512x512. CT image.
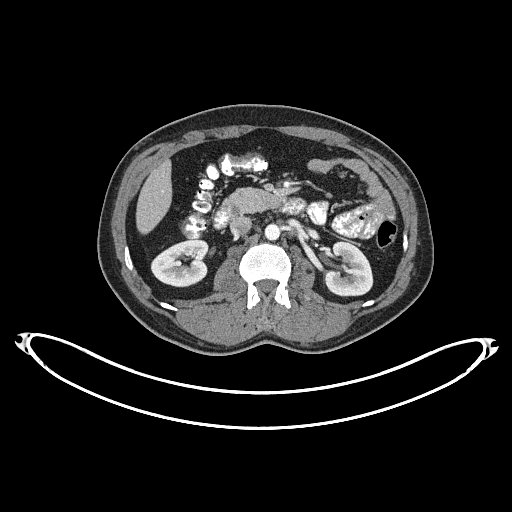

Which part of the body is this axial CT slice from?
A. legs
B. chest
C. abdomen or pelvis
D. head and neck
Answer: C. abdomen or pelvis
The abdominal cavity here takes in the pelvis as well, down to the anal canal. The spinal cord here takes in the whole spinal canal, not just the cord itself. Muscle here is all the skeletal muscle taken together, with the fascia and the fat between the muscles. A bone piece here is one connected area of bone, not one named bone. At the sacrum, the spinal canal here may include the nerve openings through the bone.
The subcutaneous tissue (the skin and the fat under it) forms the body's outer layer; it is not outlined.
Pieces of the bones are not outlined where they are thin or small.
The spinal cord is outlined by 264,294 267,294 268,293 271,292 273,290 274,290 277,286 277,282 276,281 271,281 270,280 265,280 264,281 260,281 259,282 256,282 254,284 254,285 255,285 259,289 259,290 260,291 261,291. The muscle is outlined by 226,346 238,344 265,331 284,339 299,342 323,341 342,334 358,317 391,304 404,292 409,283 412,269 418,233 418,214 416,202 409,184 390,161 378,152 335,130 311,126 258,126 245,124 192,130 173,141 161,142 148,147 135,157 125,169 121,178 110,222 113,249 120,273 129,289 142,304 166,316 178,327 195,337 213,344, around holes outlined by 248,309 267,297 290,307 286,287 299,256 315,270 312,289 336,302 370,306 391,282 407,236 393,196 360,156 258,129 188,147 142,182 128,208 126,267 134,267 161,299 203,298 219,265 234,257 247,284 and by 172,311 176,311 177,310 177,309 174,306 173,306 172,305 171,305 170,304 169,304 168,303 167,303 164,301 159,301 159,304 162,307 163,307 166,309 168,309 169,310 171,310. The torso is outlined by 206,355 230,355 264,343 300,353 332,351 380,329 413,304 432,274 433,236 421,186 394,150 367,131 338,118 275,104 232,104 203,110 153,130 128,149 112,173 100,212 100,269 116,297 144,327 166,341. The abdominal cavity is outlined by 341,303 383,292 401,256 403,230 385,183 352,151 258,129 167,158 129,205 130,256 161,299 203,298 226,258 236,259 238,273 241,256 252,245 269,242 285,250 292,270 296,258 305,257 315,270 312,289. The bones appear in 3 outlined pieces: piece 1: 248,309 256,305 261,299 267,297 272,298 275,302 287,308 290,307 288,290 286,287 288,284 288,279 291,272 291,262 284,250 277,245 262,243 260,245 252,246 241,258 239,263 239,274 247,284 247,308, around a hole outlined by 264,294 267,294 268,293 271,292 273,290 274,290 277,286 277,282 276,281 271,281 270,280 265,280 264,281 260,281 259,282 256,282 254,284 254,285 255,285 259,289 259,290 260,291 261,291; piece 2: 130,271 132,271 133,270 133,265 132,264 131,259 130,258 130,257 129,256 129,254 128,253 128,250 127,249 127,245 126,245 125,246 125,249 124,250 124,257 125,258 125,264 126,265 126,267; piece 3: 172,311 176,311 177,310 177,309 174,306 173,306 172,305 171,305 170,304 169,304 168,303 167,303 164,301 159,301 159,304 162,307 163,307 166,309 168,309 169,310 171,310.